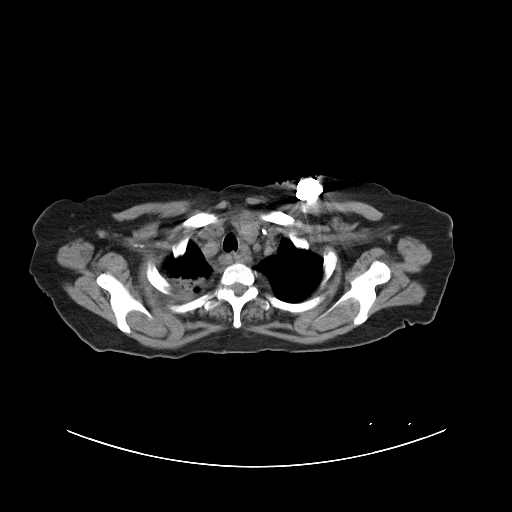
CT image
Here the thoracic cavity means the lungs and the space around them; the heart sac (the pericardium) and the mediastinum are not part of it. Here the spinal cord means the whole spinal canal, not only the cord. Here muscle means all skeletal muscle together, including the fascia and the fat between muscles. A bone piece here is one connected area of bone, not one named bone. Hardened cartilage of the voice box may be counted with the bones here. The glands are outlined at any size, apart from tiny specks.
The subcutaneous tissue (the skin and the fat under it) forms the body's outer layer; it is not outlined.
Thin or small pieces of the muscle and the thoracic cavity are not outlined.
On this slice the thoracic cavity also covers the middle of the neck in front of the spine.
The right arm is outlined by 58,199 59,199 59,203 60,204 60,217 59,218 58,235 43,267 39,273 33,278 29,273 29,270 28,269 29,268 28,267 29,266 29,262 35,246 35,241 32,235 32,226 35,220 41,212 48,205. The bones appear in 9 outlined pieces: piece 1: 235,262 258,272 261,289 282,301 298,303 325,296 316,306 301,312 273,306 265,310 257,298 252,299 240,311 238,328 232,324 233,310 225,300 207,311 201,306 173,312 169,304 190,301 212,289 224,268 with a hole at 235,283 239,283 240,284 241,284 242,285 243,285 244,286 245,286 245,287 246,288 242,294 241,294 240,295 236,295 234,293 234,292 233,291 233,290 231,288 231,286 233,284 234,284; piece 2: 375,260 383,261 388,265 390,269 390,278 385,283 378,284 375,287 376,296 368,311 367,319 357,326 353,324 353,319 359,310 359,304 357,301 351,298 347,299 319,318 345,292 350,289 350,280 364,272; piece 3: 103,272 110,273 121,282 127,288 130,294 146,308 153,318 150,319 145,314 138,310 131,310 126,315 126,322 130,328 130,332 125,333 121,331 116,325 116,318 110,303 110,293 99,286 96,282 97,276; piece 4: 148,261 152,262 155,265 155,266 157,268 159,272 171,285 171,289 170,290 171,291 171,294 170,295 168,295 167,294 164,294 162,292 158,290 154,286 153,286 148,280 147,276 146,275 146,265; piece 5: 198,212 208,212 209,213 214,213 217,215 218,217 218,220 216,222 214,222 213,223 210,223 207,225 204,225 203,226 201,226 197,228 192,228 191,227 185,227 182,225 182,223 186,219 187,219 192,215; piece 6: 329,248 330,249 332,249 335,252 337,256 337,260 335,264 335,268 332,272 330,277 326,281 326,282 323,285 321,286 320,285 320,282 322,279 322,276 323,275 323,257 322,256 323,255 323,253 327,249; piece 7: 272,210 278,210 279,211 281,211 291,216 294,219 294,224 292,225 281,225 277,223 274,223 273,222 270,222 269,221 266,221 265,220 263,220 261,219 259,217 261,213 266,213; piece 8: 186,236 188,236 188,242 187,243 187,244 186,245 186,247 185,248 185,252 182,255 181,255 178,257 174,257 172,254 172,246 174,244 176,244 181,239 182,239 184,237 185,237; piece 9: 291,231 292,231 295,234 296,236 298,237 302,237 303,238 305,238 308,242 308,244 309,245 309,248 308,249 304,249 303,248 298,248 296,247 294,245 292,241 289,238 289,232. The spinal cord is outlined by 235,283 239,283 240,284 241,284 242,285 243,285 244,286 245,286 245,287 246,288 242,294 241,294 240,295 236,295 234,293 234,292 233,291 233,290 231,288 231,286 233,284 234,284. The muscle appears in 2 outlined pieces: piece 1: 255,195 373,206 383,213 377,222 384,228 417,238 432,252 417,275 427,290 419,304 386,307 369,317 376,287 391,278 389,265 375,259 318,317 349,299 357,302 356,327 333,338 307,344 235,329 158,349 125,334 131,332 131,311 154,318 110,272 95,282 109,293 115,325 62,287 59,247 81,237 113,251 128,224 113,212 146,202 215,204 with holes at 198,212 214,213 219,220 256,222 288,238 292,231 320,256 332,249 337,256 334,270 306,298 325,294 323,300 311,309 291,312 273,306 265,310 257,298 252,299 240,311 238,328 225,300 207,311 202,306 183,313 170,310 169,304 186,300 173,288 168,295 153,286 146,265 150,261 159,270 174,244 186,236 189,241 207,226 182,225 and at 272,210 278,210 279,211 281,211 291,216 294,219 294,224 292,225 281,225 277,223 274,223 273,222 270,222 269,221 266,221 265,220 263,220 261,219 259,217 261,213 266,213; piece 2: 261,278 262,278 266,282 266,283 269,286 269,288 270,289 270,290 271,291 271,293 270,292 269,292 268,291 264,291 262,289 262,284 261,283 261,282 260,281 260,279. The thyroid glands are outlined by 243,220 245,221 252,221 253,222 256,222 258,223 259,225 259,228 258,229 257,236 255,240 250,244 248,242 247,242 247,241 244,238 243,238 243,236 242,235 242,232 241,231 239,223. The thoracic cavity is outlined by 222,219 242,220 238,223 241,235 250,245 261,224 287,237 296,248 321,256 318,285 304,300 285,301 272,293 258,271 235,261 223,268 210,289 190,300 180,299 159,270 163,262 170,255 182,256 196,234. The torso is outlined by 316,174 375,182 429,204 431,251 448,281 435,317 427,324 406,323 379,340 326,351 200,352 178,359 146,358 94,350 63,321 34,280 59,235 61,198 82,201 137,182 177,182 221,190 231,184 263,186. The left arm is outlined by 430,204 436,208 448,213 450,215 453,222 453,246 455,250 455,260 454,261 454,264 453,265 452,270 449,275 448,279 442,272 432,251 432,246 431,245 431,242 429,237 429,226 428,225 428,213 429,212.